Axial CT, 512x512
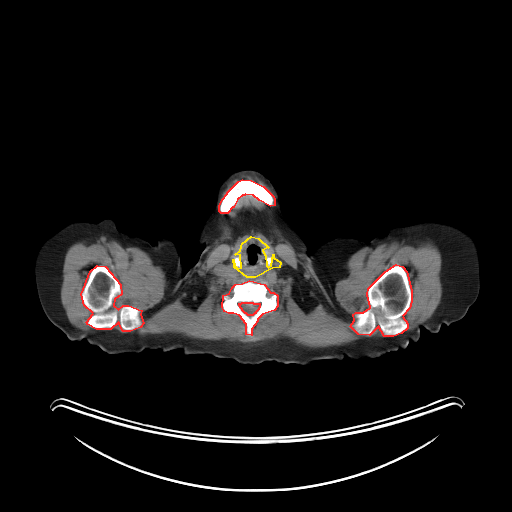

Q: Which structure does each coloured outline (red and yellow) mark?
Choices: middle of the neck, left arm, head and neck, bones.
A: red: bones; yellow: middle of the neck.
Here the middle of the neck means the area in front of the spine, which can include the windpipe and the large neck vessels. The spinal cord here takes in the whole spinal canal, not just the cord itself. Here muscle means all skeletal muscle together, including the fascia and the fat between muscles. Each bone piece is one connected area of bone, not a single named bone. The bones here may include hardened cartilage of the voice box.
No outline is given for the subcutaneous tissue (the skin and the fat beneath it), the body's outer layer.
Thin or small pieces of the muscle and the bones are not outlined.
bones 1: 396,264 402,266 406,271 411,290 411,301 409,308 402,316 407,323 407,328 401,333 393,336 384,336 378,326 369,335 358,334 350,326 354,320 353,314 356,312 363,312 370,307 367,294 368,288 385,271
bones 2: 97,265 105,266 120,284 121,294 114,299 113,305 118,309 123,305 128,305 141,310 140,314 143,323 140,327 130,331 123,331 118,322 110,329 96,329 87,324 86,322 93,313 84,305 81,294 90,271
bones 3: 249,280 264,284 270,292 273,292 277,295 277,306 274,310 262,314 257,319 257,321 251,329 251,335 246,334 246,324 239,315 233,313 228,313 224,311 222,307 223,295 229,293 232,287 235,284 242,283 with a hole at 242,302 252,302 253,303 259,303 259,307 258,308 258,309 255,312 255,313 254,313 252,315 248,315 246,313 245,313 242,310 242,309 240,307 240,306 239,305 239,303 241,303
bones 4: 242,179 251,180 263,186 273,196 274,198 274,205 270,206 259,200 253,195 245,194 244,195 242,195 237,199 233,207 232,207 227,213 221,213 219,211 219,206 222,199 227,193 227,192 238,181
middle of the neck: 251,236 258,238 268,247 262,250 265,255 266,265 268,267 271,265 273,254 273,257 280,262 279,267 272,268 255,277 247,277 234,267 233,259 234,265 237,268 241,267 240,255 235,254 240,250 242,243
left arm: 421,221 457,225 465,229 476,244 479,259 479,293 461,319 448,325 443,323 437,333 432,333 423,327 418,333 370,313 352,309 332,294 321,268 323,242 340,235 351,235 368,242 376,236 385,236 392,227
right arm: 106,218 113,220 117,229 121,232 144,239 152,245 162,237 171,239 182,260 183,275 176,286 159,304 118,313 97,322 86,331 67,338 48,319 40,304 34,275 36,254 43,242 64,226 77,221 96,223
muscle 1: 245,195 275,203 277,224 331,295 361,248 432,241 442,256 438,306 406,330 412,290 396,263 367,288 369,307 349,324 362,336 378,327 382,337 312,348 287,338 122,333 111,329 140,328 142,310 114,305 121,284 97,264 80,294 92,313 85,322 95,329 75,327 60,299 72,244 103,235 138,247 165,271 170,293 201,269 218,211 227,214, around holes outlined by 249,280 264,284 270,292 273,292 277,295 277,306 274,310 262,314 257,319 257,321 251,329 251,335 246,334 246,324 239,315 233,313 228,313 224,311 222,307 223,295 229,293 232,287 235,284 242,283 and by 251,236 253,236 261,240 269,249 271,250 273,254 273,257 279,260 280,262 279,267 272,268 263,273 261,273 255,277 247,277 238,271 234,267 232,262 234,254 236,253 242,243 247,240 248,238 250,238
muscle 2: 244,174 255,176 261,179 268,186 271,191 271,193 263,185 262,185 260,183 258,183 254,180 252,180 251,179 248,179 247,178 242,178 238,180 226,192 226,193 221,199 220,202 221,194 226,186 233,179
spinal cord: 242,302 252,302 253,303 259,303 259,307 258,308 258,309 255,312 255,313 254,313 252,315 248,315 246,313 245,313 242,310 242,309 240,307 240,306 239,305 239,303 241,303
head and neck: 245,169 260,172 273,184 279,194 283,213 307,247 313,275 313,288 299,321 285,337 267,347 256,351 238,350 219,335 202,316 190,287 191,268 198,260 205,246 198,243 198,237 214,206 218,188 230,174
torso: 322,243 320,268 331,294 352,310 420,334 404,349 355,361 242,364 184,354 180,348 108,354 84,338 69,339 118,314 159,305 190,269 190,291 209,326 238,351 260,351 285,338 300,321 314,288 310,252